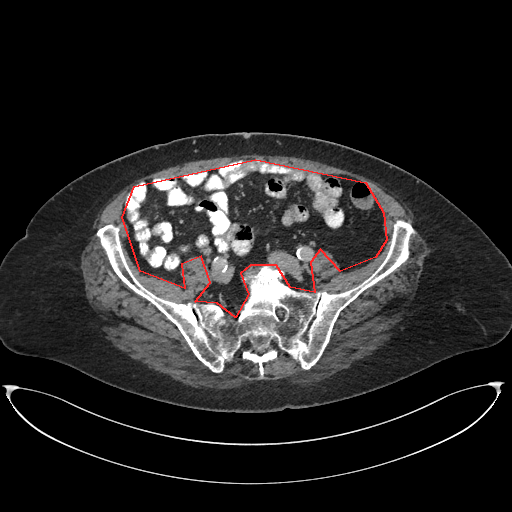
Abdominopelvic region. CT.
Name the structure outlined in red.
red: abdominal cavity.
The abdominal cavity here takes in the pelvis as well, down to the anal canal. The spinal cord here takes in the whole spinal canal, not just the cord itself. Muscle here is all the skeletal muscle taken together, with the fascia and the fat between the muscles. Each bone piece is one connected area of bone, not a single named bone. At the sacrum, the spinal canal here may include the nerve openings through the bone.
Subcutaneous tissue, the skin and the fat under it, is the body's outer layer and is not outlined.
The abdominal cavity is outlined by (255, 159) (365, 182) (383, 212) (386, 240) (375, 257) (340, 271) (320, 249) (310, 262) (314, 292) (290, 287) (276, 265) (250, 265) (240, 273) (248, 294) (235, 317) (217, 303) (195, 301) (210, 282) (201, 256) (181, 264) (184, 288) (140, 271) (122, 217) (134, 186). The torso is outlined by (254, 131) (309, 136) (361, 150) (412, 173) (455, 204) (511, 263) (511, 330) (500, 342) (454, 355) (350, 398) (251, 413) (210, 411) (155, 400) (60, 362) (18, 354) (4, 346) (0, 341) (0, 263) (25, 234) (35, 212) (53, 194) (87, 171) (150, 145) (198, 134). The spinal cord is outlined by (261, 348) (265, 348) (266, 349) (267, 349) (267, 350) (265, 352) (264, 352) (262, 354) (258, 354) (257, 353) (256, 353) (255, 352) (254, 352) (253, 351) (253, 350) (254, 349) (260, 349). The muscle is outlined by (246, 153) (255, 153) (261, 155) (294, 156) (295, 157) (301, 157) (305, 159) (315, 160) (328, 165) (351, 171) (380, 183) (396, 196) (399, 197) (411, 210) (415, 219) (415, 226) (419, 233) (425, 240) (430, 250) (424, 258) (423, 268) (419, 277) (415, 298) (406, 319) (397, 332) (392, 337) (377, 349) (372, 351) (369, 355) (353, 362) (348, 367) (338, 371) (327, 378) (322, 379) (319, 381) (313, 381) (311, 383) (306, 381) (304, 379) (306, 378) (302, 375) (298, 375) (294, 378) (288, 377) (275, 380) (254, 380) (251, 382) (243, 383) (241, 385) (235, 387) (228, 387) (227, 388) (194, 387) (191, 385) (187, 385) (180, 381) (175, 380) (167, 374) (164, 374) (154, 369) (149, 368) (145, 364) (130, 357) (125, 352) (123, 352) (115, 347) (105, 337) (104, 333) (101, 330) (100, 318) (88, 302) (85, 295) (84, 282) (82, 277) (82, 273) (79, 267) (80, 266) (80, 255) (82, 250) (88, 243) (90, 236) (93, 232) (92, 225) (97, 216) (97, 214) (116, 193) (119, 192) (125, 186) (131, 183) (137, 178) (184, 162) (200, 159) (209, 159) (215, 157) (240, 155), around a hole outlined by (255, 159) (361, 180) (383, 212) (386, 240) (381, 251) (360, 267) (340, 271) (320, 249) (312, 290) (355, 287) (385, 258) (396, 220) (415, 230) (313, 366) (279, 350) (262, 378) (239, 351) (211, 371) (96, 236) (118, 226) (137, 280) (194, 302) (205, 260) (181, 264) (184, 288) (142, 273) (126, 196). The bones are outlined by (398, 219) (415, 230) (408, 259) (339, 313) (313, 366) (305, 370) (279, 350) (262, 378) (239, 351) (211, 371) (176, 325) (119, 278) (96, 236) (118, 226) (129, 268) (155, 295) (211, 302) (235, 318) (249, 294) (246, 268) (276, 266) (297, 291) (343, 292) (383, 261), around a hole outlined by (261, 348) (265, 348) (266, 349) (267, 349) (267, 350) (265, 352) (264, 352) (262, 354) (258, 354) (257, 353) (256, 353) (255, 352) (254, 352) (253, 351) (253, 350) (254, 349) (260, 349).